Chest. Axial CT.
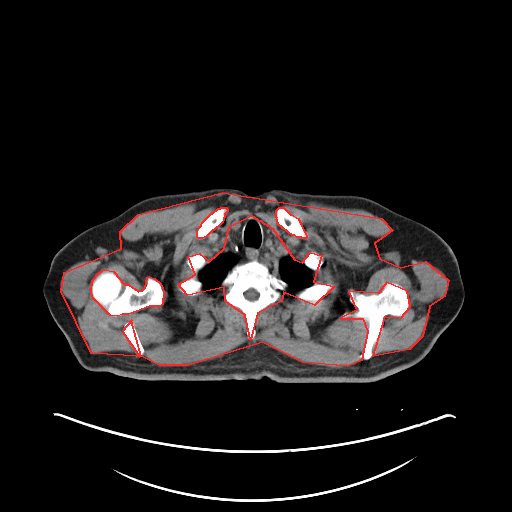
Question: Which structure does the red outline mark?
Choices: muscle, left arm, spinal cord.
Answer: red: muscle.
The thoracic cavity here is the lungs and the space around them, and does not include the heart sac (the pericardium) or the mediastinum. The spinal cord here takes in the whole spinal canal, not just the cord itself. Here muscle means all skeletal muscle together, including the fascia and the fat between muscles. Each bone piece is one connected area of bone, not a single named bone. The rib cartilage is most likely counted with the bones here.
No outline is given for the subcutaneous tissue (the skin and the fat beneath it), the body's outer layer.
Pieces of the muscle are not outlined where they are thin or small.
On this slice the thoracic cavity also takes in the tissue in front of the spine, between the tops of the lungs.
muscle: 222,192 381,218 392,230 374,243 379,258 400,267 425,261 448,280 444,296 429,306 422,336 409,349 373,356 385,316 401,317 410,306 407,291 386,282 378,293 348,291 356,310 340,318 362,318 367,331 361,360 347,366 302,362 262,342 188,365 159,365 141,356 131,320 122,331 139,356 91,353 61,291 64,272 121,248 120,231 138,214; inner edges: 251,215 272,228 294,259 302,262 310,252 321,255 313,281 334,286 314,305 283,292 281,301 257,313 250,339 245,315 225,301 224,287 187,295 178,284 195,274 188,256 199,253 209,261 224,248 229,226, then 104,269 113,271 124,284 128,284 138,291 142,290 145,287 147,277 149,276 154,278 160,283 162,287 163,291 162,304 159,306 149,306 128,314 122,314 117,316 110,315 93,298 91,292 92,280 99,272, then 279,207 283,207 290,214 291,214 298,218 298,219 300,222 300,224 306,235 306,237 305,238 302,238 301,237 297,237 294,235 292,235 278,224 278,223 277,222 277,220 276,219 277,218 276,217 276,210, then 221,207 225,207 227,209 227,211 224,214 224,217 223,218 223,220 222,222 213,230 212,230 206,236 202,238 198,238 197,237 197,231 199,227 201,225 202,222 211,213 212,213 218,208 220,208
torso: 214,187 249,195 271,188 355,194 424,224 441,237 427,253 425,284 441,305 458,314 418,363 369,383 278,383 265,376 147,380 84,368 57,325 90,321 108,312 126,290 127,273 111,245 81,232 145,198
right arm: 79,233 85,233 95,236 107,243 117,252 122,261 126,273 126,286 125,287 125,290 123,294 108,311 95,318 82,322 73,323 72,324 56,324 48,309 43,294 43,284 48,273 50,264 54,255 60,248
left arm: 441,238 445,240 445,241 450,246 458,262 459,270 460,271 461,278 464,286 464,291 465,292 464,301 460,310 453,309 441,304 432,295 426,284 426,281 425,280 425,264 426,263 427,256 430,249
thoracic cavity: 251,215 268,224 286,245 289,254 312,271 312,284 291,295 287,291 288,284 274,274 267,263 252,259 236,263 215,290 207,291 203,288 203,283 198,278 199,271 224,248 224,235 229,226 235,220
spinal cord: 250,288 252,288 253,289 254,289 258,293 258,296 257,297 257,298 255,300 253,300 252,301 251,301 250,300 249,300 248,299 247,299 245,297 245,296 244,295 244,293 248,289 249,289
bones 1: 252,260 258,260 267,264 271,272 288,286 287,290 282,293 281,301 275,301 257,313 254,323 255,335 250,339 246,332 247,322 244,313 238,307 225,301 224,294 226,289 221,286 221,283 228,272 236,264, around a hole outlined by 250,288 252,288 253,289 254,289 258,293 258,296 257,297 257,298 255,300 253,300 252,301 251,301 250,300 249,300 248,299 247,299 245,297 245,296 244,295 244,293 248,289 249,289
bones 2: 104,269 113,271 124,284 128,284 138,291 142,290 145,287 147,277 149,276 154,278 160,283 162,287 163,291 162,304 159,306 149,306 128,314 122,314 117,316 110,315 93,298 91,292 92,280 99,272
bones 3: 386,283 399,284 409,297 409,306 401,316 390,314 384,316 382,329 372,347 372,356 362,359 360,354 366,341 368,322 362,317 350,315 341,318 341,316 357,310 349,301 350,289 365,295 378,294
bones 4: 197,253 201,254 206,260 209,261 198,271 196,275 197,278 202,283 202,289 201,292 199,294 196,295 187,295 183,293 178,288 178,284 182,280 188,279 192,277 195,274 188,265 186,260 188,256
bones 5: 279,207 283,207 290,214 291,214 298,218 298,219 300,222 300,224 306,235 306,237 305,238 302,238 301,237 297,237 294,235 292,235 278,224 278,223 277,222 277,220 276,219 277,218 276,217 276,210
bones 6: 314,282 317,282 318,283 331,283 333,284 334,286 330,290 329,290 327,292 327,293 316,304 314,305 310,305 309,303 306,300 302,300 296,297 295,295 296,292 304,288 309,287 311,285 312,285 314,283
bones 7: 221,207 225,207 227,209 227,211 224,214 224,217 223,218 223,220 222,222 213,230 212,230 206,236 202,238 198,238 197,237 197,231 199,227 201,225 202,222 211,213 212,213 218,208 220,208
bones 8: 128,321 131,321 133,322 134,324 134,326 136,329 136,331 138,334 139,339 144,349 143,354 140,356 135,353 134,351 134,347 133,345 124,334 124,332 123,331 123,327 125,323
bones 9: 310,252 316,252 317,253 318,253 320,255 321,255 323,258 323,263 321,265 320,268 319,269 318,269 315,271 314,271 313,270 310,269 308,267 307,267 304,264 304,263 303,262 303,260 305,258 305,257